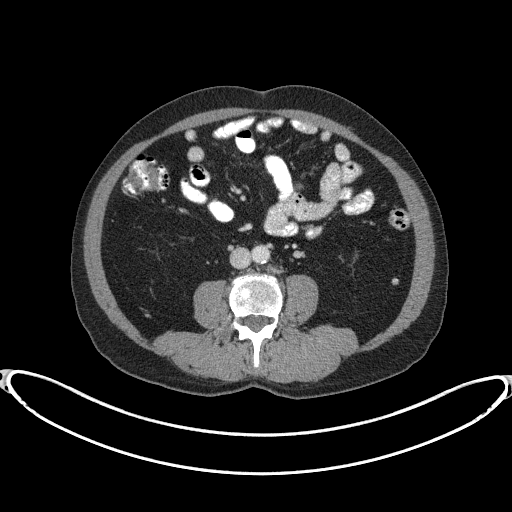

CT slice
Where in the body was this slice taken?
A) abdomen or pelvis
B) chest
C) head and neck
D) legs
A) abdomen or pelvis
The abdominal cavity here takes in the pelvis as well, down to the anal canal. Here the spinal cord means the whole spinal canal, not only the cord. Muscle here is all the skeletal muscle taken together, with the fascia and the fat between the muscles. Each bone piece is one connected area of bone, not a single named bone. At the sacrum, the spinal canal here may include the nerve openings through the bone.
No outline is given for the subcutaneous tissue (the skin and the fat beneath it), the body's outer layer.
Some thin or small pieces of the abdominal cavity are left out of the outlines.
Outlines:
muscle: 223 383; 240 381; 251 377; 277 383; 309 383; 319 381; 335 371; 344 360; 352 355; 371 351; 390 341; 408 328; 419 316; 427 300; 436 255; 433 226; 427 202; 410 174; 393 157; 363 139; 351 126; 319 113; 291 107; 228 106; 200 111; 186 116; 159 132; 132 144; 109 166; 93 190; 83 228; 82 248; 90 289; 99 307; 109 320; 136 344; 165 358; 190 375; 209 380; 220 380; inner edge: 254 367; 278 327; 287 275; 318 286; 303 325; 349 327; 362 343; 395 318; 413 267; 412 217; 387 168; 349 138; 278 113; 248 112; 153 142; 116 181; 102 229; 108 283; 144 335; 202 331; 194 290; 226 279; 230 327; 252 343
torso: 292 399; 364 387; 407 370; 425 355; 440 330; 447 303; 449 259; 442 213; 405 145; 351 100; 304 84; 263 90; 241 85; 196 89; 134 122; 88 180; 71 235; 69 269; 76 313; 96 350; 135 378; 194 395; 216 396; 256 387
spinal cord: 254 331; 258 331; 264 325; 265 325; 267 323; 269 323; 270 322; 270 319; 264 316; 254 316; 253 315; 249 315; 244 318; 242 318; 240 320; 241 323; 244 325; 246 325; 248 326; 252 330
abdominal cavity: 360 343; 397 315; 414 254; 411 214; 366 149; 248 112; 160 138; 125 166; 106 207; 102 263; 144 335; 202 331; 196 287; 226 279; 227 300; 230 280; 256 271; 278 279; 283 307; 283 279; 310 276; 319 300; 303 325; 349 327
bones: 254 367; 259 366; 259 350; 263 340; 271 338; 278 327; 278 316; 283 304; 283 294; 277 279; 274 276; 256 272; 234 277; 231 280; 228 295; 228 303; 233 313; 230 327; 237 332; 237 338; 239 340; 248 339; 252 343; 252 362 with a hole at 254 331; 258 331; 264 325; 265 325; 267 323; 269 323; 270 322; 270 319; 264 316; 254 316; 253 315; 249 315; 244 318; 242 318; 240 320; 241 323; 244 325; 246 325; 248 326; 252 330